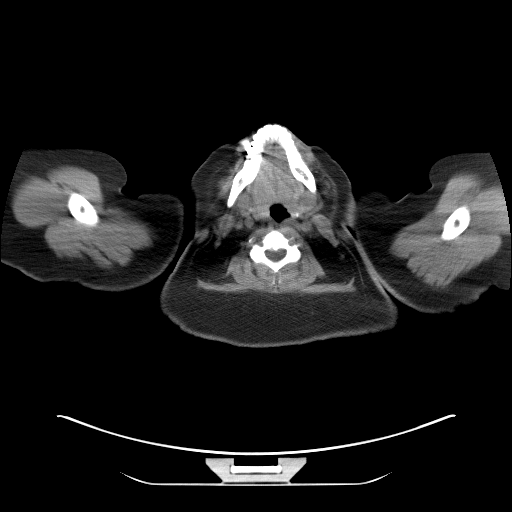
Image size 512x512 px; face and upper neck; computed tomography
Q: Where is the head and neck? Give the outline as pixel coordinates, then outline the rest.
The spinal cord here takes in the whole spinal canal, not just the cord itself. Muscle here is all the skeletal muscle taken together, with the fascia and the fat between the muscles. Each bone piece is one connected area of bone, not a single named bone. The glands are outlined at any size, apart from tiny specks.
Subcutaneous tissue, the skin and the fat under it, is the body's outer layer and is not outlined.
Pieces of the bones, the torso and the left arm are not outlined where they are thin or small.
A: Outlines:
head and neck: 270,120 283,124 306,144 325,149 347,174 355,205 354,270 348,291 331,322 309,343 239,347 228,344 210,326 197,300 188,244 194,234 188,216 194,202 189,184 193,173 212,150 224,143 245,138 254,127; inner edge: 276,205 279,205 280,206 281,206 285,210 285,211 286,212 287,212 287,216 285,216 279,220 277,220 276,219 275,219 271,215 271,214 270,213 270,209 272,207 272,206 275,206
bones 1: 266,124 279,124 293,134 295,146 314,176 316,192 314,194 311,192 294,177 284,150 277,143 267,143 264,146 263,160 260,163 258,173 239,193 233,205 228,207 227,199 232,180 242,167 249,152 250,138
bones 2: 272,228 279,229 287,237 293,236 294,240 299,244 298,248 301,253 300,258 296,262 290,262 284,265 276,273 274,273 263,263 255,263 249,256 249,251 252,245 248,239 250,237 254,237 254,239 258,241, around a hole outlined by 281,249 282,250 284,250 285,253 284,255 280,259 278,260 276,260 275,261 274,260 272,260 270,259 266,255 266,251 268,250 270,250 271,251 274,251 275,252
bones 3: 71,192 77,192 83,195 93,205 99,216 99,220 96,224 96,225 94,226 88,226 87,225 85,225 84,224 79,223 77,221 76,221 76,220 70,213 68,209 68,207 67,206 67,201 68,200 69,195
bones 4: 462,205 465,205 469,210 469,212 470,213 470,220 469,221 469,224 467,226 467,227 457,237 451,240 442,240 440,238 440,235 442,231 442,226 443,225 443,223 451,213 451,212 454,209
left arm: 472,150 489,152 509,215 508,289 505,291 491,286 475,303 451,314 427,314 399,301 396,303 377,281 356,236 355,195 366,188 374,187 385,189 395,199 410,191 422,192 430,186 428,172 437,159 455,152
torso 1: 355,230 355,236 376,281 398,306 401,312 402,315 401,323 398,327 389,331 379,333 371,333 351,337 337,337 311,342 320,335 332,322 332,320 336,315 344,301 347,293 349,291 353,273 355,270
torso 2: 187,243 189,248 189,256 191,259 192,282 196,300 198,302 206,322 226,343 219,341 208,340 185,333 181,331 174,324 160,314 158,311 156,305 158,292 167,276 175,265 177,259 176,256 177,257 179,255
muscle 1: 294,137 337,185 333,229 357,259 365,289 318,295 200,289 194,277 212,247 211,181 238,147 249,140 249,149 231,180 228,208 259,173 267,144 283,150 293,177 309,191 301,196 303,211 315,205 315,176, around a hole outlined by 272,228 279,229 287,237 293,236 294,240 299,244 298,248 301,253 300,258 296,262 290,262 284,265 276,273 274,273 263,263 255,263 249,256 249,251 252,245 248,239 250,237 254,237 254,239 258,241
muscle 2: 60,165 79,166 96,174 110,202 132,212 147,222 153,233 154,238 152,244 136,251 134,257 127,265 117,269 102,268 90,259 80,260 58,257 48,247 41,230 24,226 16,220 11,202 14,190 25,178, around a hole outlined by 71,192 77,192 83,195 93,205 99,216 99,220 96,224 96,225 94,226 88,226 87,225 85,225 84,224 79,223 77,221 76,221 76,220 70,213 68,209 68,207 67,206 67,201 68,200 69,195
muscle 3: 459,170 477,172 488,181 500,185 506,211 509,215 510,230 503,239 500,250 495,255 455,278 446,287 438,288 416,277 404,265 401,259 389,252 388,248 394,233 431,209 437,199 442,195 449,176 with a hole at 462,205 465,205 469,210 469,212 470,213 470,220 469,221 469,224 467,226 467,227 457,237 451,240 442,240 440,238 440,235 442,231 442,226 443,225 443,223 451,213 451,212 454,209
spinal cord: 281,249 282,250 284,250 285,253 284,255 280,259 278,260 276,260 275,261 274,260 272,260 270,259 266,255 266,251 268,250 270,250 271,251 274,251 275,252
right arm: 28,145 82,147 103,151 124,167 127,181 122,191 132,197 161,189 176,192 183,201 188,225 180,248 165,271 143,286 123,292 107,292 92,290 77,283 42,283 4,264 1,261 2,226 6,201 16,166
submandibular glands 1: 305,192 310,192 311,193 312,193 313,194 313,197 314,198 314,205 311,208 311,209 309,209 308,210 307,210 306,211 304,211 304,210 303,209 303,208 302,207 302,196 303,195 303,194
submandibular glands 2: 243,193 246,193 248,195 248,203 247,204 247,205 243,209 242,209 241,208 240,208 240,207 239,206 239,199 240,198 240,197 241,196 241,195